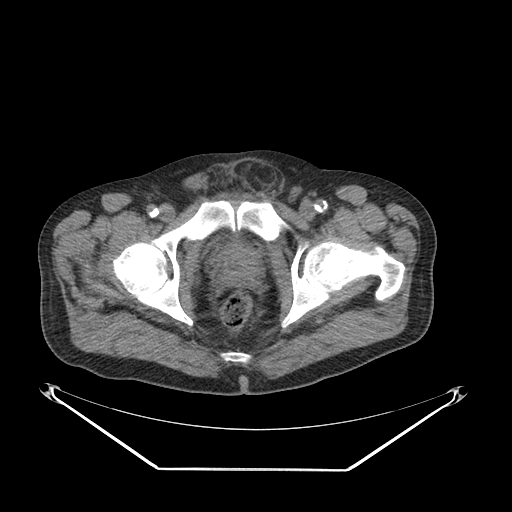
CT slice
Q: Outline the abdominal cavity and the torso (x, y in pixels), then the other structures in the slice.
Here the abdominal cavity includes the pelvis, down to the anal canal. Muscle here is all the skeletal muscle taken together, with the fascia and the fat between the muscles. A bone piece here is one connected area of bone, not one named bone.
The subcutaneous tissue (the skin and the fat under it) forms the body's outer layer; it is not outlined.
A: {"abdominal_cavity":[[[224,227],[229,228],[233,232],[246,229],[267,242],[271,256],[271,274],[279,295],[279,312],[277,323],[254,337],[249,344],[240,348],[222,339],[205,324],[200,322],[193,308],[194,286],[197,275],[199,250],[202,243],[201,241],[215,231]]],"torso":[[[254,149],[281,151],[322,168],[373,174],[400,185],[423,204],[437,236],[434,305],[425,334],[413,344],[345,373],[307,386],[259,395],[192,393],[136,380],[104,378],[57,358],[41,330],[37,261],[39,234],[53,210],[84,189],[137,176],[186,156]]],"bones":[[[207,200],[227,200],[235,208],[244,200],[268,201],[291,229],[283,228],[270,241],[246,228],[233,231],[225,226],[201,240],[181,239],[175,255],[179,265],[178,298],[193,320],[189,326],[139,301],[116,277],[112,262],[127,246],[149,242],[179,226]],[[296,236],[307,240],[310,246],[323,241],[333,241],[350,248],[370,251],[379,245],[404,264],[402,283],[395,294],[380,301],[374,295],[380,278],[375,275],[360,277],[331,292],[323,303],[282,328],[280,323],[288,313],[293,300],[290,266],[297,248]],[[226,351],[241,351],[242,352],[245,352],[248,354],[250,354],[252,356],[252,357],[249,360],[249,361],[247,363],[243,363],[242,362],[233,362],[232,361],[224,361],[222,359],[222,358],[219,356],[219,353],[220,353],[221,352],[225,352]]],"muscle":[{"outer":[[348,184],[368,187],[399,199],[411,209],[419,225],[420,242],[412,273],[407,309],[408,321],[405,328],[397,335],[338,353],[274,379],[266,379],[258,371],[241,366],[227,367],[216,378],[192,376],[152,361],[85,352],[70,341],[68,317],[60,286],[52,269],[51,246],[54,228],[76,204],[102,193],[121,192],[133,196],[148,216],[170,221],[200,196],[237,191],[283,203],[308,220],[326,209],[336,188]],"holes":[[[207,200],[227,200],[235,208],[244,200],[268,201],[291,227],[267,242],[279,295],[277,323],[240,348],[200,322],[193,308],[200,240],[181,239],[175,255],[178,298],[193,320],[191,326],[139,301],[113,271],[113,260],[127,246],[149,242],[179,226]],[[296,236],[307,240],[310,246],[323,241],[333,241],[350,248],[370,251],[379,245],[404,264],[402,283],[395,294],[380,301],[374,295],[380,278],[375,275],[360,277],[331,292],[323,303],[282,328],[280,323],[288,313],[293,300],[290,266],[297,248]],[[226,351],[241,351],[242,352],[245,352],[248,354],[250,354],[252,356],[252,357],[249,360],[249,361],[247,363],[243,363],[242,362],[233,362],[232,361],[224,361],[222,359],[222,358],[219,356],[219,353],[220,353],[221,352],[225,352]]]}]}